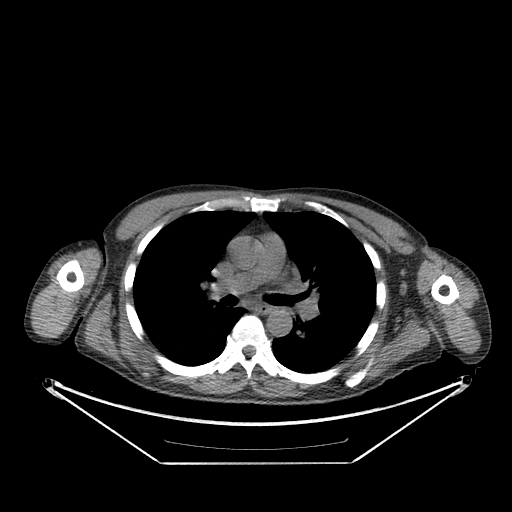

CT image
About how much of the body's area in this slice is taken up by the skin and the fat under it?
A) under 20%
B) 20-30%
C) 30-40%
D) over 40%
Answer: A) under 20%
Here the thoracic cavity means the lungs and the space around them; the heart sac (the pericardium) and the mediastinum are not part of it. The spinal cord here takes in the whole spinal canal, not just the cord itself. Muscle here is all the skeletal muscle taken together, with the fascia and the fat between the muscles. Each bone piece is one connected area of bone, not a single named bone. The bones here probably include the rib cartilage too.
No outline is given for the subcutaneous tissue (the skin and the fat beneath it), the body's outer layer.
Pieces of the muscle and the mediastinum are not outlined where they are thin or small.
The left arm is outlined by 427 244; 439 247; 462 260; 475 272; 482 284; 490 312; 492 339; 491 340; 491 346; 487 355; 481 361; 476 364; 470 364; 469 365; 464 364; 455 356; 450 355; 446 351; 443 351; 425 315; 417 293; 414 288; 414 282; 421 250. The muscle appears in 2 outlined pieces: piece 1: 206 190; 242 190; 262 195; 278 193; 313 194; 355 203; 392 219; 401 225; 412 236; 418 245; 426 246; 435 251; 461 269; 473 281; 479 293; 479 301; 476 304; 476 310; 474 313; 477 328; 481 336; 481 344; 479 349; 471 354; 467 354; 454 347; 443 328; 428 312; 414 287; 414 281; 419 264; 419 255; 417 253; 390 254; 382 248; 377 247; 376 248; 383 260; 386 270; 387 284; 390 296; 388 316; 401 317; 404 310; 407 307; 412 306; 417 316; 426 326; 432 336; 427 346; 409 354; 402 360; 388 367; 380 375; 363 385; 353 389; 345 389; 340 391; 313 391; 300 396; 263 397; 257 394; 252 394; 246 389; 233 393; 212 394; 195 391; 187 386; 154 384; 142 379; 128 369; 121 366; 115 360; 86 345; 84 340; 86 319; 91 314; 99 300; 105 294; 111 292; 113 303; 116 304; 118 301; 119 281; 124 265; 132 248; 133 239; 130 238; 126 240; 118 240; 115 236; 115 230; 122 218; 132 208; 145 201; 173 193, around holes outlined by 243 195; 284 197; 283 211; 311 210; 305 200; 326 205; 377 252; 381 267; 373 269; 374 277; 384 282; 385 301; 371 317; 378 321; 376 333; 360 355; 354 347; 336 363; 343 366; 339 374; 325 382; 271 376; 259 364; 248 379; 238 362; 224 373; 173 374; 154 358; 160 351; 148 335; 141 341; 129 323; 125 303; 133 305; 134 297; 124 277; 131 262; 138 265; 146 233; 206 201 and by 443 273; 444 274; 449 275; 452 278; 459 292; 459 296; 452 303; 450 304; 443 304; 442 303; 440 303; 437 300; 434 299; 431 295; 431 286; 432 285; 432 283; 434 281; 434 280; 435 280; 441 274 and by 371 358; 373 358; 373 364; 368 369; 367 371; 367 373; 362 379; 362 380; 358 384; 352 387; 349 387; 347 386; 344 383; 344 382; 352 374; 353 374; 358 370; 363 368; 366 365; 368 361; piece 2: 88 247; 95 247; 101 255; 101 264; 91 293; 75 314; 65 331; 58 337; 50 338; 38 335; 32 329; 30 321; 31 320; 30 313; 32 303; 41 287; 46 272; 50 265; 61 255; 70 251; 74 252, around a hole outlined by 71 259; 76 259; 78 261; 80 265; 80 267; 84 274; 84 283; 83 285; 78 290; 76 291; 66 291; 64 290; 60 286; 56 278; 56 275; 59 269; 61 267; 61 266; 64 263; 65 263; 67 261. The pericardium is outlined by 266 233; 272 233; 276 235; 281 240; 285 251; 285 258; 289 267; 287 275; 283 281; 277 284; 262 285; 255 289; 244 291; 242 290; 237 283; 231 281; 228 278; 225 263; 228 258; 229 247; 231 243; 239 236; 242 235; 256 236. The bones appear in 12 outlined pieces: piece 1: 244 314; 260 319; 275 358; 287 368; 315 373; 342 365; 339 374; 325 382; 308 384; 278 374; 271 376; 259 364; 253 367; 249 379; 238 362; 224 373; 215 371; 197 377; 164 369; 153 356; 156 352; 185 366; 201 365; 216 358, around a hole outlined by 248 345; 250 345; 251 346; 252 346; 253 347; 254 347; 254 348; 255 349; 255 352; 254 353; 254 354; 253 355; 252 355; 249 357; 248 357; 247 356; 246 356; 243 353; 243 348; 244 347; 245 347; piece 2: 243 195; 247 195; 251 197; 254 196; 260 198; 284 197; 285 200; 280 203; 279 208; 276 211; 266 210; 255 212; 250 210; 246 211; 241 209; 222 208; 216 210; 201 210; 188 213; 190 209; 206 201; 224 197; 240 197; piece 3: 71 259; 76 259; 78 261; 80 265; 80 267; 84 274; 84 283; 83 285; 78 290; 76 291; 66 291; 64 290; 60 286; 56 278; 56 275; 59 269; 61 267; 61 266; 64 263; 65 263; 67 261; piece 4: 443 273; 444 274; 449 275; 452 278; 459 292; 459 296; 452 303; 450 304; 443 304; 442 303; 440 303; 437 300; 434 299; 431 295; 431 286; 432 285; 432 283; 434 281; 434 280; 435 280; 441 274; piece 5: 371 320; 377 320; 378 321; 378 327; 377 328; 376 333; 374 335; 371 342; 365 349; 365 350; 360 355; 359 355; 357 357; 355 357; 355 353; 356 352; 355 350; 355 346; 357 344; 359 340; 362 337; 367 327; 369 325; piece 6: 127 301; 131 303; 134 306; 134 308; 137 314; 137 316; 145 332; 145 334; 143 336; 143 340; 142 341; 141 341; 134 333; 129 323; 129 321; 127 317; 127 314; 126 313; 126 310; 125 309; 125 303; piece 7: 305 200; 311 200; 312 201; 315 201; 316 202; 318 202; 328 206; 334 210; 342 218; 344 219; 344 220; 348 224; 348 227; 346 227; 342 223; 336 219; 328 215; 326 215; 323 213; 316 211; 304 205; 303 203; piece 8: 371 358; 373 358; 373 364; 368 369; 367 371; 367 373; 362 379; 362 380; 358 384; 352 387; 349 387; 347 386; 344 383; 344 382; 352 374; 353 374; 358 370; 363 368; 366 365; 368 361; piece 9: 163 221; 165 223; 164 226; 150 240; 150 241; 145 247; 141 255; 138 255; 136 253; 136 251; 137 250; 137 247; 138 246; 138 244; 141 240; 141 239; 150 229; 151 229; 153 227; 154 227; 156 225; 157 225; 159 223; piece 10: 131 262; 135 262; 136 264; 136 269; 135 270; 135 274; 134 275; 134 278; 133 279; 132 288; 131 290; 130 290; 128 292; 126 292; 125 290; 125 286; 124 285; 124 277; 125 276; 125 272; 126 271; 126 269; 128 265; piece 11: 364 240; 365 241; 368 242; 370 244; 371 244; 371 245; 377 252; 377 254; 378 255; 378 258; 379 259; 379 261; 380 262; 380 266; 381 267; 379 270; 377 270; 374 268; 374 267; 372 264; 372 262; 362 244; 362 242; piece 12: 380 279; 381 279; 384 282; 384 284; 385 285; 385 301; 384 302; 384 304; 383 305; 383 307; 380 310; 376 306; 376 282; 378 280; 379 280. The right arm is outlined by 83 238; 93 238; 96 240; 103 250; 102 278; 98 284; 98 286; 91 301; 85 310; 77 326; 67 339; 61 344; 53 347; 34 342; 27 336; 23 326; 23 315; 25 310; 27 298; 31 288; 39 275; 43 266; 54 252; 68 243. The mediastinum is outlined by 257 212; 263 212; 265 221; 283 240; 287 254; 296 265; 300 276; 298 287; 291 297; 292 327; 286 335; 275 337; 272 340; 268 337; 261 319; 253 313; 245 313; 246 310; 228 294; 219 271; 219 260; 227 244; 255 217, around a hole outlined by 266 233; 272 233; 276 235; 281 240; 285 251; 285 258; 289 267; 287 275; 283 281; 277 284; 262 285; 255 289; 244 291; 242 290; 237 283; 231 281; 228 278; 225 263; 228 258; 229 247; 231 243; 239 236; 242 235; 256 236. The thoracic cavity appears in 2 outlined pieces: piece 1: 222 209; 250 211; 255 213; 254 217; 229 240; 218 260; 218 271; 225 291; 245 312; 231 328; 226 336; 223 349; 216 357; 197 365; 181 364; 160 352; 151 341; 141 323; 134 305; 132 289; 137 266; 148 244; 166 225; 185 214; piece 2: 279 210; 313 210; 336 220; 348 228; 361 243; 373 267; 375 308; 371 319; 354 347; 337 363; 324 370; 293 370; 281 363; 272 349; 272 341; 286 336; 293 327; 292 297; 301 282; 300 271; 288 254; 284 240; 264 217; 266 211. The torso is outlined by 184 183; 219 183; 256 189; 339 188; 369 197; 400 215; 428 241; 420 250; 413 288; 441 356; 435 362; 405 371; 355 397; 307 405; 262 405; 200 401; 158 393; 81 355; 75 347; 74 336; 103 278; 103 229; 137 198; 159 188. The spinal cord is outlined by 248 345; 250 345; 251 346; 252 346; 253 347; 254 347; 254 348; 255 349; 255 352; 254 353; 254 354; 253 355; 252 355; 249 357; 248 357; 247 356; 246 356; 243 353; 243 348; 244 347; 245 347.